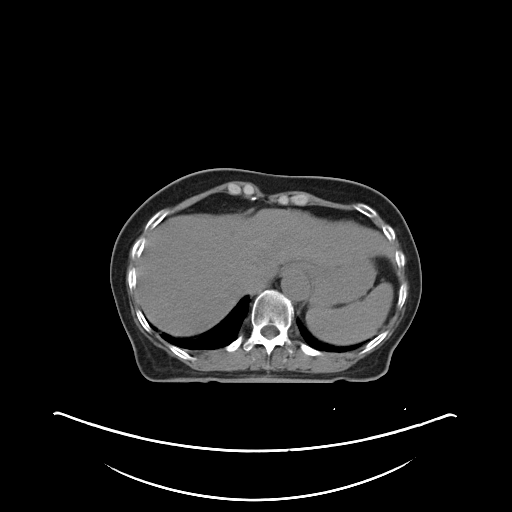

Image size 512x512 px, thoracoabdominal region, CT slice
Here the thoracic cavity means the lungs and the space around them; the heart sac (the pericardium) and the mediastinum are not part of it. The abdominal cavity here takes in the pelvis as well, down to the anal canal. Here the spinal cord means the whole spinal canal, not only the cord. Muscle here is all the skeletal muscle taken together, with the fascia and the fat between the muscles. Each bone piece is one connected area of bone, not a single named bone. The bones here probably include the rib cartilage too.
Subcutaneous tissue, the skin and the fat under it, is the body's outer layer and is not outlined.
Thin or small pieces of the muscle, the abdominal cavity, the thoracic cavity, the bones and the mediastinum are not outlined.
{"torso":[[[218,167],[352,180],[378,190],[398,208],[408,225],[418,251],[422,289],[414,318],[394,349],[385,374],[365,382],[339,380],[332,383],[220,383],[215,381],[153,382],[140,373],[110,286],[109,267],[115,240],[129,216],[160,188],[186,174]]],"abdominal_cavity":[[[216,193],[280,205],[325,206],[371,219],[394,253],[399,283],[383,330],[363,345],[317,341],[294,322],[295,308],[309,294],[310,275],[288,267],[275,275],[269,289],[244,295],[219,323],[199,335],[156,331],[136,289],[136,268],[146,241],[166,217]]],"bones":[{"outer":[[266,289],[274,289],[280,292],[293,306],[293,320],[288,331],[291,344],[276,345],[269,357],[266,349],[261,344],[255,344],[248,351],[242,345],[233,351],[227,351],[224,348],[235,340],[240,333],[244,335],[245,339],[249,336],[251,305],[254,299]],"hole":[[265,326],[274,326],[277,329],[277,330],[278,331],[278,332],[277,333],[277,334],[276,335],[275,335],[273,337],[272,337],[271,338],[267,338],[266,337],[265,337],[262,334],[262,333],[261,332],[261,330]]},[[296,194],[305,194],[306,195],[308,195],[309,196],[309,201],[306,205],[295,205],[294,204],[292,204],[291,203],[289,203],[288,204],[280,204],[277,202],[277,199],[280,196],[281,196],[282,195],[286,195],[287,196],[291,196],[292,195],[295,195]],[[165,207],[166,208],[168,208],[169,209],[170,209],[170,210],[171,211],[153,229],[151,229],[150,228],[149,228],[145,231],[144,230],[144,227],[145,226],[146,223],[148,221],[148,220],[157,211],[158,211],[160,209],[161,209],[162,208],[164,208]],[[231,183],[235,184],[241,188],[246,185],[249,185],[251,186],[253,189],[253,195],[256,197],[256,199],[254,200],[251,200],[249,197],[243,193],[242,191],[241,191],[240,193],[236,194],[235,195],[233,194],[230,194],[228,190],[228,186]],[[384,330],[387,330],[388,331],[388,333],[386,335],[386,336],[377,345],[376,345],[374,347],[373,347],[371,349],[364,353],[360,353],[360,351],[362,350],[362,349],[364,347],[364,345],[366,343],[367,343],[370,340],[374,338],[378,334],[379,334]],[[140,236],[143,236],[146,239],[145,241],[145,243],[144,244],[144,246],[143,247],[143,250],[139,258],[137,258],[136,257],[135,258],[132,258],[131,257],[131,248],[132,247],[132,245],[134,243],[136,239],[137,239]],[[358,202],[361,202],[362,203],[364,203],[365,204],[368,205],[370,207],[371,207],[374,210],[375,210],[376,211],[376,212],[377,213],[377,215],[372,218],[370,218],[369,217],[364,215],[362,213],[357,211],[353,207],[353,205]],[[167,342],[172,345],[174,345],[181,349],[183,349],[185,350],[190,355],[195,357],[196,359],[194,361],[192,361],[188,359],[184,359],[183,358],[181,358],[179,357],[177,355],[176,355],[169,348],[167,344]],[[404,282],[405,283],[406,283],[406,284],[407,285],[407,295],[406,296],[405,301],[402,305],[402,306],[400,308],[397,308],[396,307],[396,303],[397,302],[397,299],[398,298],[398,291],[399,290],[399,287],[400,286],[400,285]],[[300,342],[303,342],[304,343],[305,343],[307,345],[308,345],[310,347],[312,347],[319,351],[321,351],[323,353],[322,354],[322,355],[315,355],[314,356],[313,355],[308,355],[307,354],[305,354],[300,349],[300,347],[299,346],[299,343]],[[132,267],[134,267],[136,269],[136,286],[135,287],[135,288],[134,288],[133,289],[130,289],[130,288],[129,287],[129,285],[128,284],[128,282],[127,281],[127,273],[128,272],[128,270],[130,268],[131,268]],[[136,309],[140,309],[141,310],[143,315],[145,317],[145,318],[147,320],[147,321],[149,323],[149,324],[151,326],[151,327],[152,328],[152,331],[151,332],[148,332],[142,326],[142,325],[140,323],[140,322],[139,321],[139,320],[136,315]],[[383,224],[389,224],[393,228],[393,229],[394,230],[394,232],[395,233],[395,238],[393,240],[392,240],[391,241],[389,241],[388,240],[388,239],[386,237],[386,236],[384,234],[384,233],[383,232],[383,231],[382,230],[382,228],[381,227],[381,226]],[[396,250],[401,250],[403,252],[403,253],[404,254],[404,257],[405,258],[405,262],[404,263],[404,265],[401,268],[399,268],[397,266],[397,265],[396,264],[396,261],[395,260],[395,251]]],"spinal_cord":[[[265,326],[274,326],[277,329],[277,330],[278,331],[278,332],[277,333],[277,334],[276,335],[275,335],[273,337],[272,337],[271,338],[267,338],[266,337],[265,337],[262,334],[262,333],[261,332],[261,330]]],"mediastinum":[[[288,268],[297,268],[308,273],[309,275],[309,280],[310,281],[308,285],[308,294],[307,296],[304,299],[301,300],[294,308],[294,309],[294,306],[292,302],[283,293],[274,288],[271,288],[276,280],[275,279],[276,275],[279,272],[283,271]]],"thoracic_cavity":[[[246,295],[248,295],[251,298],[249,309],[249,320],[248,319],[243,323],[241,330],[236,338],[224,347],[219,347],[214,349],[189,350],[181,348],[166,341],[160,335],[160,334],[163,333],[175,338],[194,338],[199,336],[219,324],[230,313],[238,302]],[[295,323],[299,323],[303,329],[312,338],[321,344],[327,344],[330,346],[335,346],[336,347],[346,347],[354,345],[361,346],[356,349],[346,352],[328,352],[327,351],[319,350],[312,346],[310,346],[301,340],[297,334],[296,328],[294,325]]],"muscle":[[[130,249],[130,257],[138,259],[138,262],[137,267],[132,266],[127,270],[126,281],[128,287],[130,290],[136,290],[140,308],[135,309],[135,315],[139,323],[148,333],[157,332],[176,356],[192,362],[197,358],[186,350],[223,348],[233,352],[242,346],[248,352],[255,345],[263,346],[269,358],[276,346],[292,344],[289,331],[293,321],[301,341],[299,349],[305,355],[346,353],[362,346],[359,353],[364,354],[387,336],[389,331],[384,328],[395,309],[400,309],[406,301],[408,295],[408,285],[407,283],[404,281],[400,284],[398,279],[398,268],[401,269],[405,265],[405,263],[406,262],[405,254],[406,257],[406,275],[409,283],[409,294],[404,316],[391,336],[379,348],[345,370],[325,373],[263,369],[202,371],[168,355],[152,344],[136,326],[126,288],[126,270]],[[236,180],[251,182],[255,184],[264,193],[267,194],[277,193],[283,191],[297,190],[298,191],[308,192],[319,197],[328,199],[332,201],[336,201],[342,203],[357,202],[352,205],[352,207],[355,210],[346,210],[336,207],[330,207],[325,205],[308,205],[308,203],[310,201],[310,196],[305,193],[296,193],[291,195],[282,194],[276,199],[276,202],[268,202],[263,199],[258,199],[257,197],[254,195],[254,189],[251,185],[246,184],[241,187],[239,185],[231,182],[227,186],[228,193],[225,192],[216,192],[215,193],[212,193],[196,201],[194,203],[174,213],[168,215],[172,211],[170,208],[166,207],[167,206],[176,204],[182,200],[206,188],[215,186],[225,182],[235,181]],[[396,234],[396,236],[397,237],[397,238],[398,239],[398,240],[400,243],[400,245],[402,248],[402,250],[401,249],[396,249],[394,251],[394,252],[393,251],[393,250],[392,249],[392,248],[390,245],[390,242],[391,242],[392,241],[393,241],[396,238]],[[248,320],[249,321],[249,323],[250,324],[250,329],[249,330],[249,333],[248,334],[248,336],[246,338],[245,338],[245,335],[242,332],[240,332],[242,330],[242,328],[243,327],[243,326],[244,325],[244,323],[245,322],[246,322]],[[378,213],[379,214],[379,215],[387,223],[383,223],[380,226],[380,227],[375,222],[374,222],[372,220],[372,219],[373,218],[374,218],[375,217],[376,217],[378,215]],[[143,227],[143,230],[145,232],[147,230],[148,230],[149,229],[150,229],[151,230],[151,233],[150,233],[149,234],[149,235],[147,237],[147,239],[143,235],[140,235],[137,238],[137,237],[141,232],[141,231],[142,230],[142,229],[143,228]]]}